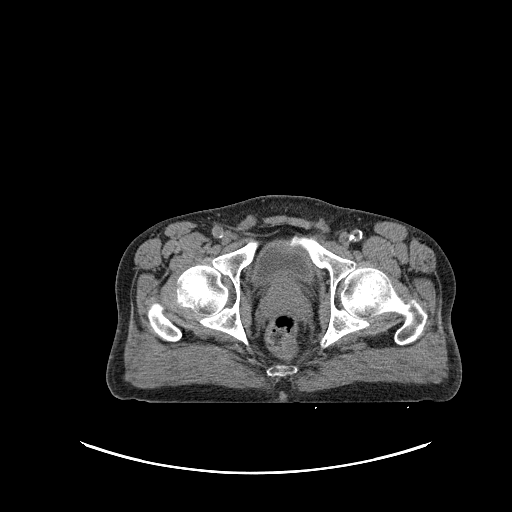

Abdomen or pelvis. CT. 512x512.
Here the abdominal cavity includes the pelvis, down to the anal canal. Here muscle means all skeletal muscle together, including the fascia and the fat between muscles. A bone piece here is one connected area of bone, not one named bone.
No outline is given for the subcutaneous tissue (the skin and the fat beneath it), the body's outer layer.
The bones appear in 4 outlined pieces: piece 1: [[294,235],[313,235],[331,252],[358,266],[384,272],[400,297],[405,301],[414,298],[427,313],[422,334],[411,343],[396,343],[394,334],[404,317],[385,312],[374,317],[369,326],[322,348],[319,342],[331,313],[329,273],[318,267],[301,245],[290,244]]; piece 2: [[251,239],[258,240],[259,245],[251,262],[241,270],[239,282],[239,316],[249,342],[247,346],[240,340],[225,332],[202,325],[189,308],[179,306],[175,302],[175,299],[177,287],[176,281],[183,271],[197,264],[209,264],[212,258],[234,251],[245,245]]; piece 3: [[153,302],[158,302],[162,304],[165,307],[163,311],[163,313],[176,326],[177,326],[180,329],[181,331],[181,337],[178,340],[176,341],[166,341],[159,337],[151,328],[149,324],[148,319],[146,316],[146,313],[147,312],[147,310],[149,306]]; piece 4: [[277,364],[284,364],[285,365],[292,365],[293,366],[296,366],[298,368],[298,369],[295,373],[293,374],[290,374],[289,375],[287,375],[283,377],[281,376],[269,376],[267,375],[266,373],[266,370],[269,367],[272,367]]. The abdominal cavity is outlined by [[274,231],[288,231],[300,235],[294,234],[291,237],[289,244],[292,246],[299,245],[307,252],[311,261],[317,267],[316,272],[319,284],[317,332],[307,351],[289,363],[277,362],[267,356],[260,347],[253,329],[251,276],[254,256],[260,245],[260,241]]. The torso is outlined by [[270,194],[308,196],[342,207],[393,217],[423,230],[439,244],[452,266],[456,281],[451,324],[461,358],[462,379],[452,398],[443,402],[217,404],[150,403],[119,399],[111,394],[105,372],[117,325],[115,276],[128,244],[142,231],[164,219]]. The muscle is outlined by [[250,215],[317,218],[341,231],[389,221],[422,235],[433,249],[438,266],[448,376],[439,383],[358,381],[315,391],[294,390],[284,378],[271,391],[198,383],[140,388],[127,382],[124,379],[124,349],[137,248],[159,227],[174,222],[191,221],[221,227]], around holes outlined by [[274,231],[313,235],[331,252],[384,272],[400,297],[414,298],[427,313],[422,334],[396,343],[404,317],[385,312],[322,348],[330,278],[318,267],[317,332],[297,359],[277,362],[253,329],[253,259],[239,282],[248,346],[202,325],[175,302],[180,274]] and by [[153,302],[158,302],[162,304],[165,307],[163,311],[163,313],[176,326],[177,326],[180,329],[181,331],[181,337],[178,340],[176,341],[166,341],[159,337],[151,328],[149,324],[148,319],[146,316],[146,313],[147,312],[147,310],[149,306]] and by [[277,364],[284,364],[285,365],[292,365],[293,366],[296,366],[298,368],[298,369],[295,373],[293,374],[290,374],[289,375],[287,375],[283,377],[281,376],[269,376],[267,375],[266,373],[266,370],[269,367],[272,367]].